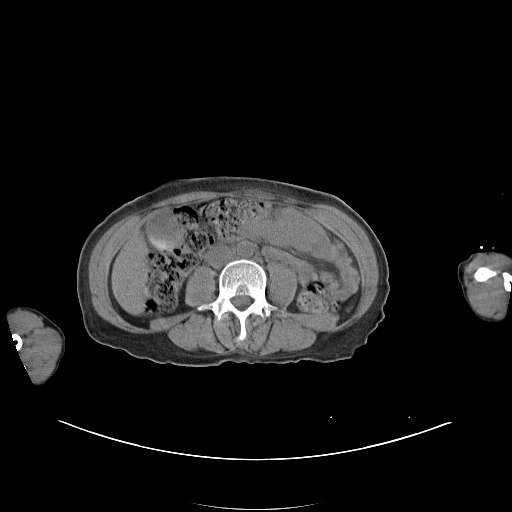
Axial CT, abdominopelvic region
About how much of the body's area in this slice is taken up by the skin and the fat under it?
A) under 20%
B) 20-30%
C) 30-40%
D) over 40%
Answer: B) 20-30%
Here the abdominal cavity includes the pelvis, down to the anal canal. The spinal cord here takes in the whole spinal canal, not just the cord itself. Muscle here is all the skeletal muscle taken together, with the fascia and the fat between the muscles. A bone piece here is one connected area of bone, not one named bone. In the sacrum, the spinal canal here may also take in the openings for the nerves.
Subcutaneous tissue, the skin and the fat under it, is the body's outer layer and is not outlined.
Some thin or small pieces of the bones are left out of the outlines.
Outlined structures:
left arm: (493, 246) (497, 251) (504, 252) (511, 256) (511, 291) (509, 292) (510, 296) (508, 300) (508, 306) (506, 310) (505, 317) (500, 322) (486, 322) (479, 319) (473, 313) (464, 299) (457, 278) (457, 266) (460, 261) (467, 258) (472, 252) (476, 252) (480, 250) (489, 250)
right arm: (20, 305) (29, 306) (42, 312) (60, 327) (65, 336) (65, 352) (64, 355) (56, 372) (43, 385) (36, 386) (30, 379) (30, 377) (26, 372) (24, 365) (18, 354) (18, 350) (16, 347) (17, 341) (13, 337) (12, 333) (8, 327) (6, 320) (6, 311) (14, 306)
muscle 1: (248, 189) (262, 189) (270, 192) (278, 193) (287, 197) (291, 197) (294, 199) (298, 199) (299, 200) (304, 200) (310, 202) (315, 202) (316, 203) (322, 203) (327, 205) (331, 205) (336, 207) (350, 216) (362, 227) (367, 234) (375, 253) (375, 256) (377, 261) (377, 265) (378, 266) (378, 283) (377, 284) (377, 292) (371, 305) (365, 313) (364, 313) (356, 322) (342, 330) (332, 332) (330, 334) (324, 335) (323, 337) (321, 338) (320, 337) (318, 338) (317, 340) (309, 347) (300, 350) (296, 350) (295, 351) (278, 351) (270, 354) (267, 354) (264, 356) (255, 356) (252, 353) (247, 352) (244, 350) (232, 350) (229, 353) (217, 353) (216, 354) (213, 352) (207, 351) (206, 350) (187, 351) (176, 346) (163, 333) (161, 332) (156, 332) (155, 333) (150, 333) (149, 334) (132, 333) (123, 330) (113, 325) (102, 318) (95, 311) (91, 301) (91, 293) (89, 288) (88, 266) (89, 265) (89, 261) (90, 260) (91, 253) (96, 243) (101, 236) (111, 226) (121, 219) (133, 213) (145, 209) (156, 202) (180, 194) (183, 194) (188, 192) (192, 192) (193, 191) (226, 192) (228, 190) (247, 190) with a hole at (226, 196) (302, 210) (339, 238) (359, 269) (356, 305) (290, 311) (296, 270) (272, 260) (265, 297) (278, 310) (251, 314) (244, 340) (232, 313) (217, 320) (197, 309) (218, 295) (207, 265) (185, 284) (189, 310) (147, 327) (125, 319) (108, 281) (126, 239) (166, 208)
muscle 2: (17, 310) (25, 310) (39, 316) (43, 324) (46, 327) (54, 329) (60, 337) (61, 349) (56, 359) (54, 367) (51, 372) (41, 381) (33, 382) (31, 380) (18, 354) (18, 351) (21, 349) (23, 343) (22, 339) (16, 332) (11, 332) (9, 330) (6, 316) (11, 312)
muscle 3: (492, 253) (502, 255) (511, 260) (511, 273) (505, 270) (501, 272) (503, 287) (510, 294) (508, 300) (508, 306) (506, 310) (506, 313) (502, 318) (487, 317) (478, 313) (472, 306) (468, 298) (467, 287) (464, 280) (464, 269) (466, 265) (476, 256) (480, 254) (491, 254), around a hole outlined by (481, 266) (486, 266) (492, 270) (495, 270) (496, 271) (497, 271) (497, 274) (494, 276) (492, 276) (491, 277) (490, 277) (489, 278) (488, 278) (485, 281) (477, 281) (474, 278) (474, 276) (473, 275) (474, 274) (474, 273) (475, 272) (475, 271) (479, 267) (480, 267)
spinal cord: (235, 296) (248, 296) (250, 298) (251, 298) (251, 299) (252, 300) (252, 301) (251, 302) (251, 303) (246, 308) (245, 308) (244, 309) (243, 309) (242, 310) (241, 310) (240, 309) (239, 309) (238, 308) (237, 308) (231, 302) (231, 299) (233, 297) (234, 297)
torso: (219, 175) (268, 178) (329, 192) (353, 208) (372, 228) (387, 258) (390, 291) (383, 308) (384, 319) (369, 335) (366, 344) (350, 358) (325, 363) (226, 361) (215, 366) (191, 367) (140, 359) (100, 344) (88, 335) (77, 297) (76, 269) (89, 232) (112, 210) (163, 181)
abdominal cavity: (226, 196) (302, 210) (339, 238) (359, 269) (356, 305) (339, 313) (290, 311) (296, 270) (272, 260) (267, 275) (256, 261) (238, 258) (223, 266) (217, 281) (207, 265) (195, 268) (184, 290) (189, 310) (154, 317) (147, 327) (125, 319) (108, 281) (126, 239) (166, 208)
bones 1: (238, 259) (252, 260) (263, 268) (267, 276) (265, 297) (278, 308) (272, 310) (265, 318) (251, 314) (245, 322) (246, 337) (241, 341) (237, 340) (240, 324) (232, 313) (229, 312) (217, 320) (210, 309) (197, 309) (198, 306) (212, 302) (217, 297) (221, 270) (227, 263); inner edge: (235, 296) (248, 296) (250, 298) (251, 298) (251, 299) (252, 300) (252, 301) (251, 302) (251, 303) (246, 308) (245, 308) (244, 309) (243, 309) (242, 310) (241, 310) (240, 309) (239, 309) (238, 308) (237, 308) (231, 302) (231, 299) (233, 297) (234, 297)
bones 2: (481, 266) (486, 266) (492, 270) (495, 270) (496, 271) (497, 271) (497, 274) (494, 276) (492, 276) (491, 277) (490, 277) (489, 278) (488, 278) (485, 281) (477, 281) (474, 278) (474, 276) (473, 275) (474, 274) (474, 273) (475, 272) (475, 271) (479, 267) (480, 267)
bones 3: (505, 271) (506, 272) (508, 272) (509, 273) (510, 273) (511, 274) (511, 291) (510, 291) (509, 292) (508, 291) (507, 291) (505, 289) (505, 288) (504, 287) (504, 285) (503, 284) (503, 277) (502, 276) (502, 272) (504, 272)
bones 4: (12, 333) (16, 333) (20, 337) (20, 338) (21, 339) (21, 341) (22, 342) (22, 343) (21, 344) (21, 346) (20, 347) (20, 349) (19, 350) (18, 350) (16, 347) (16, 345) (17, 344) (17, 341) (16, 340) (16, 339) (13, 337) (13, 336) (12, 335)